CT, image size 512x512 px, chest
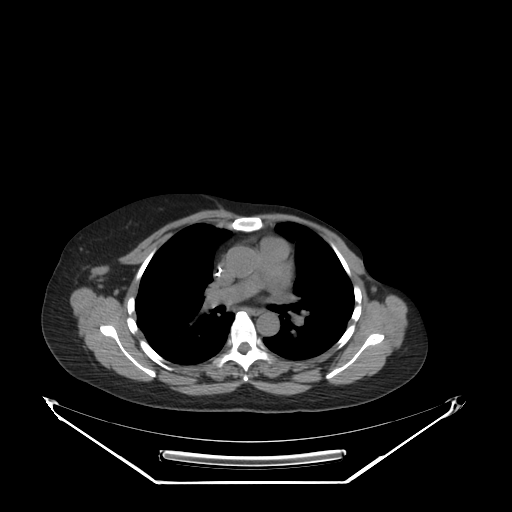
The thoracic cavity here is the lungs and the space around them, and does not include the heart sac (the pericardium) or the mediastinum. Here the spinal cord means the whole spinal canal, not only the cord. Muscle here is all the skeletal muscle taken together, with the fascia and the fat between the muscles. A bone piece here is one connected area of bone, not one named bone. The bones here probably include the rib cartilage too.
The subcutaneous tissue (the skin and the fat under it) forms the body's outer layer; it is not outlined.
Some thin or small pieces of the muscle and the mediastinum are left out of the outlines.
The pericardium is outlined by [[267,232],[275,233],[289,242],[293,247],[294,273],[291,282],[291,287],[287,292],[276,296],[249,297],[248,298],[236,297],[224,285],[224,274],[222,270],[224,268],[224,265],[222,264],[224,260],[224,256],[235,243],[246,240],[249,237],[257,234]]. The spinal cord is outlined by [[244,342],[245,342],[246,343],[247,343],[249,345],[249,346],[250,347],[250,348],[246,352],[245,352],[244,353],[242,353],[241,352],[240,352],[238,350],[238,347],[242,343],[243,343]]. The torso is outlined by [[172,192],[290,206],[339,230],[360,248],[364,265],[375,279],[400,288],[417,305],[428,337],[427,355],[420,370],[399,388],[367,403],[288,413],[155,408],[118,398],[70,375],[46,345],[40,324],[45,289],[62,249],[82,227],[107,213],[140,198]]. The thoracic cavity appears in 2 outlined pieces: piece 1: [[201,222],[211,223],[218,228],[231,231],[231,235],[215,250],[210,285],[216,292],[219,303],[225,307],[227,312],[232,312],[234,317],[223,348],[218,353],[197,363],[180,364],[164,358],[145,339],[136,321],[135,300],[140,280],[157,250],[181,229]]; piece 2: [[287,221],[308,227],[330,246],[350,279],[354,297],[347,326],[339,338],[320,354],[305,359],[289,359],[278,355],[270,351],[263,342],[263,338],[277,334],[281,326],[279,313],[270,306],[287,304],[293,298],[296,276],[295,243],[275,231],[277,223]]. The mediastinum is outlined by [[266,222],[275,223],[275,232],[235,242],[221,262],[223,285],[236,298],[276,297],[292,287],[292,282],[293,281],[295,273],[295,267],[294,266],[294,247],[290,242],[294,243],[294,264],[295,265],[295,276],[292,298],[269,306],[278,313],[280,326],[277,333],[262,339],[248,313],[227,311],[211,284],[216,250],[232,230],[254,232]]. The bones appear in 9 outlined pieces: piece 1: [[239,311],[244,311],[247,313],[254,325],[257,335],[273,357],[271,363],[262,359],[255,360],[246,372],[248,377],[246,381],[243,379],[245,373],[243,368],[235,361],[228,360],[221,367],[217,367],[212,359],[222,352],[229,336],[231,324],[236,313]] with a hole at [[244,342],[245,342],[246,343],[247,343],[249,345],[249,346],[250,347],[250,348],[246,352],[245,352],[244,353],[242,353],[241,352],[240,352],[238,350],[238,347],[242,343],[243,343]]; piece 2: [[241,216],[257,216],[262,220],[263,222],[263,227],[262,227],[260,229],[258,229],[254,231],[249,231],[248,232],[246,232],[245,231],[234,230],[233,229],[231,230],[224,227],[218,227],[216,226],[215,224],[219,221],[231,222],[236,218],[240,217]]; piece 3: [[353,285],[357,285],[359,287],[361,292],[361,313],[359,316],[358,320],[355,324],[354,331],[350,338],[343,346],[342,346],[339,349],[336,349],[335,343],[343,334],[348,325],[352,322],[352,321],[350,320],[350,318],[355,306],[355,297],[354,296]]; piece 4: [[106,324],[112,325],[115,328],[118,338],[125,350],[141,365],[144,367],[153,370],[156,373],[155,377],[151,377],[144,371],[137,367],[123,353],[116,341],[112,337],[110,336],[106,336],[100,331],[99,328],[100,325],[105,325]]; piece 5: [[372,333],[381,333],[383,334],[384,337],[379,343],[368,345],[360,353],[356,359],[346,368],[340,371],[329,379],[326,379],[325,378],[326,374],[330,372],[333,369],[337,367],[340,367],[346,363],[358,351],[358,350],[364,343],[367,337]]; piece 6: [[140,339],[144,339],[158,354],[159,354],[164,359],[167,360],[169,362],[169,364],[172,367],[173,367],[174,369],[173,370],[168,370],[162,367],[160,365],[156,363],[153,360],[152,360],[143,351],[143,350],[141,348],[139,344],[139,340]]; piece 7: [[131,296],[135,298],[134,300],[134,309],[135,310],[135,321],[139,329],[138,332],[136,334],[133,334],[130,331],[128,327],[128,325],[127,324],[127,318],[129,315],[127,311],[127,301],[128,299]]; piece 8: [[154,248],[156,248],[156,251],[154,253],[154,254],[150,259],[149,262],[147,264],[147,265],[146,266],[146,267],[145,268],[145,269],[139,280],[139,282],[137,282],[135,279],[135,277],[136,276],[136,273],[137,272],[139,267],[144,261],[145,258]]; piece 9: [[330,241],[334,243],[334,244],[336,246],[336,247],[338,249],[338,250],[346,261],[348,265],[348,267],[350,270],[350,272],[351,273],[351,276],[350,277],[345,271],[340,260],[338,258],[334,250],[329,244],[329,242]]. The muscle appears in 2 outlined pieces: piece 1: [[272,212],[299,216],[335,233],[363,261],[361,277],[370,299],[379,301],[393,293],[406,303],[403,341],[375,374],[348,384],[314,386],[292,395],[268,393],[248,383],[227,393],[188,395],[153,380],[122,376],[103,366],[86,347],[70,305],[71,293],[88,286],[121,302],[135,273],[138,287],[135,297],[131,295],[126,301],[127,327],[133,335],[142,333],[144,338],[138,340],[142,351],[168,371],[175,369],[170,362],[191,365],[211,358],[221,368],[233,361],[242,368],[246,382],[255,361],[273,362],[270,352],[289,360],[305,360],[334,344],[339,350],[353,335],[362,313],[361,289],[352,283],[349,265],[334,242],[328,243],[313,229],[295,221],[264,223],[253,215]]; inner edges: [[106,324],[112,325],[115,328],[118,338],[125,350],[141,365],[144,367],[153,370],[156,373],[155,377],[151,377],[144,371],[137,367],[123,353],[116,341],[112,337],[110,336],[106,336],[100,331],[99,328],[100,325],[105,325]], then [[372,333],[381,333],[383,334],[384,337],[379,343],[368,345],[360,353],[356,359],[346,368],[340,371],[329,379],[326,379],[325,378],[326,374],[330,372],[333,369],[337,367],[340,367],[346,363],[358,351],[358,350],[364,343],[367,337]]; piece 2: [[220,208],[231,211],[240,216],[231,221],[219,220],[215,223],[201,221],[181,228],[170,236],[157,249],[156,247],[154,247],[144,258],[136,272],[136,269],[138,267],[137,265],[122,264],[118,261],[119,257],[128,253],[141,241],[164,225],[202,210]].